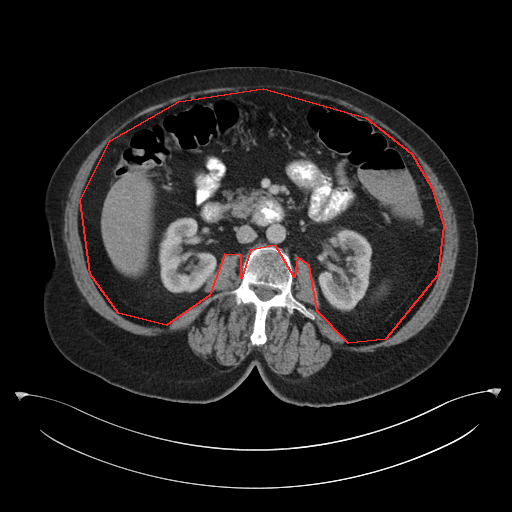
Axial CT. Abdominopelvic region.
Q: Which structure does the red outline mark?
A: red: abdominal cavity.
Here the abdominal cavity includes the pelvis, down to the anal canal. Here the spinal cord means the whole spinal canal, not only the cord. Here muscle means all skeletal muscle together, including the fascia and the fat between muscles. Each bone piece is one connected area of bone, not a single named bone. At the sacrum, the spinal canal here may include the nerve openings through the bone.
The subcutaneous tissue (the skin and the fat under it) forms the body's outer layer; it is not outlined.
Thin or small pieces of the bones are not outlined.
{"abdominal_cavity":[[[263,88],[365,117],[411,153],[431,187],[443,225],[437,275],[385,339],[348,343],[317,311],[309,265],[297,257],[294,277],[275,245],[250,250],[241,278],[241,255],[224,254],[209,295],[166,325],[118,313],[90,274],[80,200],[110,140],[178,101]]],"bones":[{"outer":[[259,246],[275,246],[287,254],[293,272],[292,295],[315,318],[311,319],[296,309],[289,313],[285,308],[272,307],[265,319],[267,339],[263,344],[254,345],[250,340],[255,318],[254,306],[250,303],[237,304],[233,294],[225,293],[241,283],[246,255]],"hole":[[258,285],[263,285],[264,286],[267,286],[268,287],[270,287],[272,289],[275,290],[277,292],[276,292],[275,293],[275,294],[269,299],[268,299],[267,300],[262,300],[258,297],[258,296],[255,293],[255,292],[253,289],[254,286],[257,286]]}],"spinal_cord":[[[258,285],[263,285],[264,286],[267,286],[268,287],[270,287],[272,289],[275,290],[277,292],[276,292],[275,293],[275,294],[269,299],[268,299],[267,300],[262,300],[258,297],[258,296],[255,293],[255,292],[253,289],[254,286],[257,286]]],"muscle":[{"outer":[[262,84],[281,85],[298,89],[303,89],[345,100],[373,115],[376,118],[381,120],[395,130],[414,148],[419,155],[429,165],[437,176],[439,181],[443,185],[448,194],[450,202],[453,207],[456,216],[456,222],[459,236],[459,240],[458,241],[459,249],[456,258],[454,274],[450,286],[445,296],[445,299],[434,317],[421,330],[410,338],[398,344],[387,347],[379,347],[371,352],[357,352],[356,351],[348,351],[344,349],[336,349],[333,352],[332,356],[324,367],[312,375],[298,380],[286,380],[280,377],[278,374],[274,373],[269,368],[262,354],[255,349],[247,355],[236,367],[234,367],[231,370],[229,371],[218,371],[206,366],[205,364],[195,357],[186,341],[186,338],[179,332],[162,333],[159,335],[147,336],[146,335],[132,333],[114,324],[94,310],[86,301],[85,298],[78,289],[72,274],[67,248],[63,237],[64,212],[65,211],[66,202],[68,198],[68,193],[81,164],[91,151],[124,121],[139,111],[151,105],[160,103],[169,98],[175,97],[185,93],[209,88],[216,88],[217,87],[261,85]],"hole":[[263,88],[365,117],[431,187],[437,275],[385,339],[348,343],[317,311],[300,257],[291,292],[315,318],[272,307],[260,345],[254,306],[225,293],[242,281],[239,253],[224,254],[209,295],[166,325],[118,313],[90,274],[80,200],[110,140],[178,101]]}],"torso":[[[224,66],[299,70],[367,92],[423,128],[460,175],[478,238],[472,296],[449,348],[409,382],[351,403],[298,406],[277,398],[254,367],[219,400],[173,402],[80,369],[50,339],[42,295],[53,255],[43,205],[56,166],[86,129],[133,92],[173,75]]]}